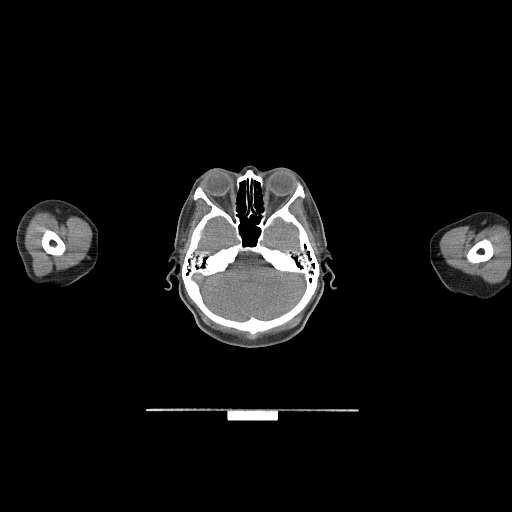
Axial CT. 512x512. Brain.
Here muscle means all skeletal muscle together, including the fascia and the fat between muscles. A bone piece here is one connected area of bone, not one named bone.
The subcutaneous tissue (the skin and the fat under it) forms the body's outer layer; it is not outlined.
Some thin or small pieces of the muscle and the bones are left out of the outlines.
Outlined structures:
left arm: 485 210; 497 212; 507 218; 508 220; 509 234; 511 240; 511 267; 510 268; 510 277; 508 285; 494 296; 488 299; 481 299; 474 296; 454 293; 444 286; 438 278; 430 262; 429 259; 429 241; 431 236; 441 227; 459 220; 472 213
right arm: 49 198; 56 198; 57 199; 65 200; 75 205; 89 217; 95 224; 98 231; 98 259; 94 268; 87 274; 65 287; 55 287; 47 283; 36 283; 31 281; 26 274; 16 245; 16 230; 18 223; 24 212; 33 204; 41 200
head: 247 164; 287 167; 304 179; 321 217; 332 255; 326 262; 334 276; 332 288; 332 275; 325 275; 319 301; 297 335; 256 348; 226 344; 202 331; 180 298; 176 278; 169 277; 170 288; 167 280; 178 217; 195 179; 211 168; 237 172, around a hole outlined by 243 181; 245 182; 243 188; 243 201; 246 209; 245 216; 247 218; 250 218; 257 210; 255 206; 256 187; 254 182; 258 183; 262 196; 260 219; 255 224; 259 229; 259 233; 253 244; 244 243; 240 231; 237 194; 240 189; 240 184
bones 1: 296 180; 302 185; 305 195; 303 198; 298 196; 288 209; 306 231; 320 266; 315 292; 303 309; 290 320; 264 331; 252 334; 214 322; 188 295; 181 276; 181 266; 191 234; 201 218; 211 208; 202 198; 193 198; 196 188; 200 185; 207 197; 231 217; 233 216; 232 204; 236 195; 239 231; 243 243; 253 245; 260 233; 256 224; 261 219; 263 200; 265 215; 270 215; 292 196; 296 187; inner edges: 244 252; 258 255; 266 263; 280 272; 297 273; 303 276; 305 287; 300 297; 288 310; 268 319; 251 315; 246 319; 238 320; 225 317; 213 311; 207 305; 200 286; 192 278; 193 273; 200 274; 204 277; 221 273; 237 259; 240 253, then 214 218; 222 218; 225 220; 228 225; 233 230; 233 234; 234 235; 236 242; 226 247; 222 247; 216 251; 214 251; 211 253; 211 252; 207 249; 198 250; 199 243; 200 242; 200 240; 202 238; 202 233; 208 222, then 277 219; 280 219; 283 222; 287 224; 291 224; 297 229; 297 245; 298 246; 297 249; 295 249; 294 248; 287 248; 285 250; 282 250; 276 247; 270 247; 266 245; 263 242; 266 235; 266 230; 267 230; 274 223; 275 220
bones 2: 246 169; 252 169; 258 173; 261 173; 263 179; 261 189; 257 181; 253 182; 255 187; 254 206; 256 210; 255 213; 250 217; 246 216; 247 209; 244 201; 244 188; 246 182; 243 180; 241 181; 238 191; 236 189; 236 174; 241 174
bones 3: 485 238; 488 239; 491 242; 493 246; 493 254; 492 256; 486 261; 483 261; 482 262; 479 262; 478 263; 472 263; 468 261; 468 260; 466 258; 466 254; 467 252; 475 243
bones 4: 44 229; 49 229; 50 230; 52 230; 54 232; 55 232; 63 241; 65 245; 65 250; 64 252; 61 255; 52 255; 51 254; 49 254; 47 253; 44 250; 41 244; 41 238; 43 235; 43 233; 44 232
brain 1: 244 252; 258 255; 266 263; 280 272; 297 273; 303 276; 305 287; 300 297; 288 310; 268 319; 251 315; 246 319; 238 320; 225 317; 213 311; 207 305; 200 286; 192 278; 193 273; 200 274; 204 277; 221 273; 237 259; 240 253
brain 2: 214 218; 222 218; 225 220; 228 225; 233 230; 233 234; 234 235; 236 242; 226 247; 222 247; 216 251; 214 251; 211 253; 211 252; 207 249; 198 250; 199 243; 200 242; 200 240; 202 238; 202 233; 208 222
brain 3: 277 219; 280 219; 283 222; 287 224; 291 224; 297 229; 297 245; 298 246; 297 249; 295 249; 294 248; 287 248; 285 250; 282 250; 276 247; 270 247; 266 245; 263 242; 266 235; 266 230; 267 230; 274 223; 275 220
muscle 1: 56 209; 58 209; 64 216; 77 216; 83 219; 89 225; 92 231; 92 240; 88 251; 88 257; 82 260; 77 265; 61 271; 55 271; 42 277; 38 277; 33 272; 32 260; 24 244; 25 230; 30 218; 37 210; 46 210; 54 212 with a hole at 44 229; 49 229; 50 230; 52 230; 54 232; 55 232; 63 241; 65 245; 65 250; 64 252; 61 255; 52 255; 51 254; 49 254; 47 253; 44 250; 41 244; 41 238; 43 235; 43 233; 44 232
muscle 2: 494 224; 504 225; 507 231; 507 235; 511 240; 511 265; 507 270; 506 276; 501 282; 496 284; 489 284; 483 281; 478 276; 464 273; 445 263; 439 252; 439 241; 447 231; 455 227; 464 225; 469 225; 472 228; 479 230; 483 227 with a hole at 485 238; 488 239; 491 242; 493 246; 493 254; 492 256; 486 261; 483 261; 482 262; 479 262; 478 263; 472 263; 468 261; 468 260; 466 258; 466 254; 467 252; 475 243
muscle 3: 186 292; 196 306; 214 323; 224 327; 247 332; 252 335; 270 330; 290 321; 304 309; 313 295; 315 293; 315 295; 305 310; 300 321; 291 329; 266 337; 256 339; 244 339; 235 335; 221 332; 208 326; 202 320; 196 308; 188 299
muscle 4: 306 195; 310 204; 310 207; 312 211; 312 216; 319 230; 320 245; 322 248; 319 262; 314 251; 314 249; 312 246; 312 244; 310 241; 309 235; 307 231; 295 215; 293 214; 289 209; 289 207; 291 204; 298 197; 300 197; 303 199
muscle 5: 192 197; 194 200; 202 199; 210 208; 200 218; 193 228; 190 234; 188 245; 185 251; 181 265; 179 262; 179 251; 178 250; 180 247; 180 236; 181 235; 181 231; 183 227; 183 224; 186 221; 186 218; 187 219; 188 218; 188 210